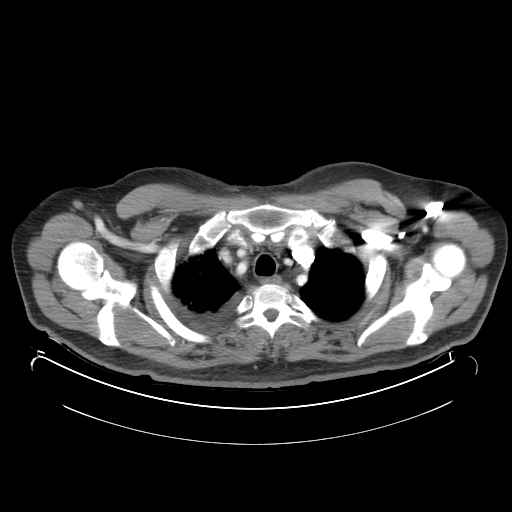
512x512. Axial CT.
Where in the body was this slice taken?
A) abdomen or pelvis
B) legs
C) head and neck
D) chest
D) chest
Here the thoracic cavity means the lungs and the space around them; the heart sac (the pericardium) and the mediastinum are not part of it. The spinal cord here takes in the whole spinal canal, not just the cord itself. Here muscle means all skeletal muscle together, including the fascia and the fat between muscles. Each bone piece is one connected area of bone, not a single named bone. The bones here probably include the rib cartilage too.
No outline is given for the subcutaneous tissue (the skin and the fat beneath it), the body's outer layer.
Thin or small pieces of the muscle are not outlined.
{"left_arm":[[[438,180],[451,182],[468,187],[495,206],[505,219],[508,232],[508,249],[507,250],[507,256],[505,265],[498,282],[498,285],[494,296],[486,296],[477,294],[450,283],[437,275],[431,269],[425,259],[421,246],[420,213],[421,212],[422,203],[426,194]]],"spinal_cord":[[[268,309],[275,309],[278,312],[278,313],[277,314],[277,316],[273,320],[269,320],[264,315],[264,312],[266,310],[267,310]]],"mediastinum":[[[243,231],[256,243],[261,243],[267,236],[273,242],[286,237],[288,248],[307,243],[311,238],[321,243],[305,283],[295,292],[290,291],[285,285],[273,282],[266,282],[252,289],[244,289],[224,267],[214,248],[224,236],[232,244],[245,245]]],"right_arm":[[[65,187],[69,189],[85,203],[92,212],[99,225],[104,244],[104,262],[103,266],[96,279],[83,292],[76,297],[71,299],[61,306],[44,313],[36,315],[26,314],[13,268],[13,263],[11,256],[11,236],[12,232],[19,219],[31,207],[54,191]]],"bones":[[[266,203],[291,209],[312,208],[334,219],[338,228],[337,247],[325,247],[316,236],[294,247],[287,246],[286,236],[273,241],[267,235],[256,242],[250,231],[239,225],[245,244],[232,243],[224,235],[202,254],[188,256],[189,244],[199,226],[216,212]],[[73,241],[92,246],[103,257],[104,267],[114,279],[130,280],[136,284],[130,304],[162,325],[174,338],[173,346],[132,310],[116,303],[112,310],[115,335],[120,346],[109,346],[98,339],[97,314],[104,301],[84,298],[61,279],[56,267],[61,249]],[[441,242],[458,244],[464,251],[466,263],[447,289],[431,294],[433,311],[424,328],[427,339],[416,345],[405,345],[414,323],[413,314],[406,311],[372,332],[358,346],[357,340],[362,331],[404,298],[405,286],[421,275],[423,264],[430,261],[433,250]],{"outer":[[266,283],[285,286],[290,292],[297,294],[320,318],[320,320],[311,322],[307,328],[302,328],[286,322],[278,328],[273,338],[258,325],[252,325],[241,329],[238,328],[234,323],[234,319],[237,316],[235,312],[236,307],[246,294],[254,288]],"hole":[[268,309],[275,309],[278,312],[278,313],[277,314],[277,316],[273,320],[269,320],[264,315],[264,312],[266,310],[267,310]]},[[150,284],[154,284],[158,287],[158,289],[166,304],[174,315],[183,324],[195,331],[208,335],[210,337],[210,341],[207,343],[197,343],[192,341],[188,341],[171,330],[160,317],[157,310],[155,308],[155,306],[152,301],[150,295],[150,288],[149,287]],[[169,243],[177,243],[178,244],[177,245],[177,249],[175,255],[176,256],[176,265],[171,280],[171,294],[170,295],[167,294],[163,290],[161,284],[156,275],[155,272],[155,265],[154,264],[155,258],[159,252]],[[379,255],[383,256],[386,259],[386,261],[387,262],[386,267],[385,268],[385,272],[383,276],[383,279],[378,290],[374,296],[369,301],[365,302],[364,301],[364,299],[365,298],[364,283],[365,282],[365,274],[369,264],[369,258],[370,257],[375,257]],[[346,248],[353,248],[355,250],[355,251],[360,256],[360,257],[361,258],[360,259],[359,259],[355,255],[354,255],[353,254],[352,254],[351,253],[348,253],[347,252],[345,252],[344,251],[343,251],[343,249],[345,249]]],"thoracic_cavity":[[[213,248],[218,260],[239,285],[244,290],[247,289],[251,290],[246,293],[237,304],[234,309],[235,313],[213,325],[206,327],[190,327],[189,325],[186,325],[180,319],[172,302],[172,280],[176,266],[178,263],[185,261],[188,257],[202,255],[207,250]],[[322,246],[328,249],[335,249],[336,248],[345,253],[355,256],[359,260],[362,269],[365,273],[363,283],[363,292],[364,293],[363,301],[359,307],[351,315],[345,319],[330,320],[320,317],[296,293],[306,283],[308,279],[310,268],[315,259],[316,253]]],"muscle":[{"outer":[[354,178],[380,182],[413,209],[465,211],[483,222],[495,239],[484,295],[466,321],[429,337],[425,329],[434,311],[432,294],[447,290],[467,263],[458,243],[441,241],[429,261],[422,264],[420,275],[404,286],[403,298],[361,331],[356,340],[360,347],[390,320],[410,312],[413,323],[404,342],[407,347],[351,362],[264,359],[199,369],[174,368],[119,348],[113,310],[116,304],[149,324],[170,346],[176,340],[162,324],[131,304],[137,284],[114,278],[105,267],[104,257],[82,240],[66,243],[55,267],[60,279],[84,299],[103,301],[96,314],[97,338],[52,321],[33,295],[26,247],[55,214],[98,211],[149,183],[179,184],[217,195],[265,197],[276,192],[310,192]],"hole":[[266,203],[312,208],[334,219],[338,228],[336,248],[353,248],[365,273],[370,257],[383,256],[385,272],[374,296],[345,319],[321,317],[307,328],[286,322],[273,338],[258,325],[238,328],[235,313],[213,325],[190,328],[208,335],[207,343],[188,341],[176,334],[160,317],[150,295],[150,284],[157,286],[180,319],[172,295],[163,290],[155,272],[159,252],[167,244],[177,243],[176,263],[183,262],[199,226],[216,212]]}],"torso":[[[344,160],[437,179],[419,213],[424,259],[450,284],[494,297],[474,338],[436,359],[280,389],[191,387],[98,367],[28,320],[26,315],[44,314],[79,296],[104,266],[100,225],[86,203],[66,187],[96,187],[160,165],[191,168],[231,184],[265,185]]]}